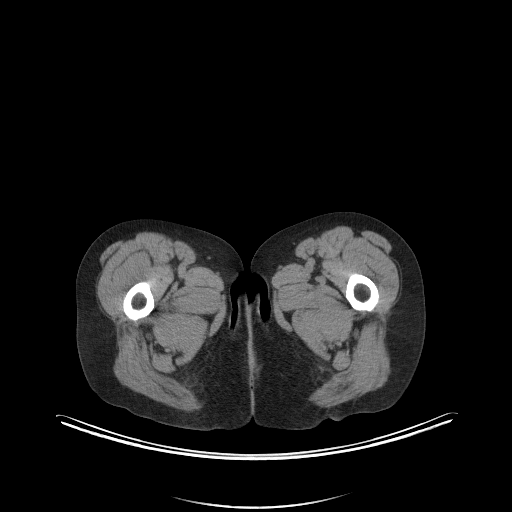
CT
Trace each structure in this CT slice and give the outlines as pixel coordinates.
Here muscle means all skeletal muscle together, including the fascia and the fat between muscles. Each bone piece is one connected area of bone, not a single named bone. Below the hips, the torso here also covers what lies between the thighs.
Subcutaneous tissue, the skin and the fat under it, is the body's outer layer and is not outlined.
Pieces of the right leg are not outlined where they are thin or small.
left leg: 334 211; 355 211; 373 216; 394 229; 410 246; 423 279; 426 310; 425 338; 414 375; 394 405; 374 413; 350 415; 339 421; 327 419; 312 428; 266 318; 269 314; 266 285; 260 277; 251 275; 250 262; 257 248; 277 231; 305 219
muscle 1: 333 225; 369 229; 385 237; 392 244; 392 255; 399 261; 403 288; 387 323; 386 342; 391 369; 387 382; 355 399; 329 407; 320 407; 306 399; 318 386; 320 360; 278 326; 274 313; 271 277; 277 266; 291 262; 294 247; 304 237 with a hole at 352 273; 360 273; 361 274; 363 274; 370 278; 376 285; 378 292; 379 293; 379 299; 377 304; 374 307; 373 310; 371 311; 366 311; 365 310; 356 310; 350 305; 349 302; 347 300; 345 296; 345 289; 346 288; 347 280; 350 274
muscle 2: 146 230; 181 237; 194 247; 208 265; 220 273; 224 283; 226 312; 223 320; 180 375; 192 390; 204 398; 205 404; 199 410; 185 411; 156 401; 122 385; 113 373; 117 352; 115 326; 99 308; 95 299; 99 256; 110 244; 134 232 with a hole at 140 281; 148 281; 149 282; 149 284; 150 285; 150 289; 153 294; 153 298; 154 299; 154 307; 148 315; 134 321; 133 320; 130 319; 125 314; 125 313; 123 311; 123 298; 124 297; 126 292; 135 283; 136 283; 137 282; 139 282
bones 1: 352 273; 360 273; 361 274; 363 274; 370 278; 376 285; 378 292; 379 293; 379 299; 377 304; 374 307; 373 310; 371 311; 366 311; 365 310; 356 310; 350 305; 349 302; 347 300; 345 296; 345 289; 346 288; 347 280; 350 274
bones 2: 140 281; 148 281; 149 282; 149 284; 150 285; 150 289; 153 294; 153 298; 154 299; 154 307; 148 315; 134 321; 133 320; 130 319; 125 314; 125 313; 123 311; 123 298; 124 297; 126 292; 135 283; 136 283; 137 282; 139 282
right leg: 138 218; 155 218; 173 221; 217 235; 227 241; 236 250; 243 264; 243 272; 230 288; 232 320; 209 411; 202 430; 162 424; 137 416; 124 408; 105 402; 90 388; 81 368; 75 337; 75 280; 79 264; 87 248; 100 233; 119 222
torso: 243 291; 250 300; 254 297; 257 291; 259 292; 260 314; 264 319; 266 319; 286 369; 286 373; 311 428; 268 428; 258 425; 251 419; 245 426; 237 429; 203 430; 210 411; 232 321; 233 323; 235 322; 237 315; 237 298; 238 295